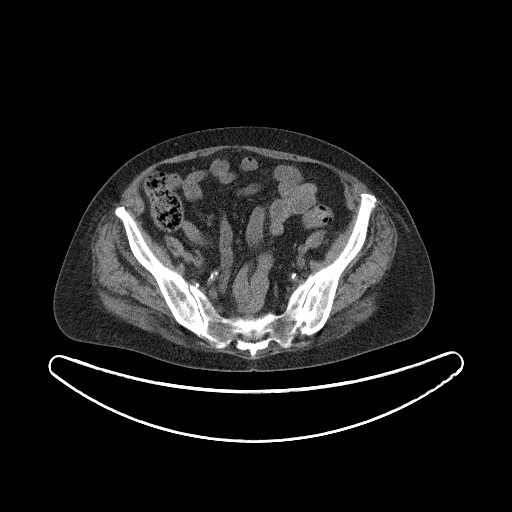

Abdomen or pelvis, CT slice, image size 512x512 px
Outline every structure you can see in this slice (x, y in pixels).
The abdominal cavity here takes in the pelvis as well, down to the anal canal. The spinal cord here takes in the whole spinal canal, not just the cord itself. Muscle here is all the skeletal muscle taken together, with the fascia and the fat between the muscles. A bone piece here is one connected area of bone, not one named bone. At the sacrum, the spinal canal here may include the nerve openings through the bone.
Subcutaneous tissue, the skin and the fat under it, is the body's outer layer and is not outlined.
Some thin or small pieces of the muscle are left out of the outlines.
The muscle appears in 3 outlined pieces: piece 1: [[232,144],[251,145],[257,147],[263,147],[264,148],[268,148],[269,149],[273,149],[279,151],[295,153],[299,155],[307,156],[331,164],[353,175],[364,183],[382,200],[383,203],[387,207],[388,213],[391,217],[397,231],[397,245],[396,246],[394,257],[391,262],[391,265],[388,269],[386,278],[382,285],[381,299],[379,305],[375,311],[374,311],[365,321],[357,325],[343,336],[336,339],[333,339],[320,346],[315,346],[308,349],[297,350],[296,351],[285,351],[258,359],[245,359],[229,353],[214,352],[213,351],[207,351],[206,350],[195,350],[192,348],[189,348],[176,344],[167,339],[163,338],[156,333],[150,332],[147,330],[144,330],[135,325],[130,324],[110,313],[107,313],[99,306],[97,301],[94,297],[93,288],[92,287],[93,278],[92,277],[91,240],[92,239],[92,236],[95,231],[97,223],[99,219],[102,216],[102,214],[105,209],[120,193],[122,189],[125,188],[131,180],[138,173],[151,164],[160,160],[172,157],[178,154],[193,151],[197,149],[201,149],[211,146],[231,145]] with a hole at [[224,149],[318,164],[339,176],[351,218],[315,272],[345,246],[360,194],[377,200],[323,327],[298,335],[288,348],[272,340],[254,356],[234,341],[216,348],[176,321],[114,213],[124,206],[154,255],[180,274],[168,250],[143,226],[140,183],[160,165]]; piece 2: [[166,234],[168,234],[170,236],[172,236],[174,238],[177,239],[180,242],[180,243],[183,247],[183,250],[184,251],[184,255],[183,256],[179,256],[178,257],[175,257],[174,255],[170,251],[165,241],[165,235]]; piece 3: [[319,230],[324,230],[325,231],[325,233],[324,234],[324,238],[322,240],[322,242],[321,244],[320,244],[319,246],[315,248],[307,248],[306,246],[306,240],[307,238],[312,233],[316,231],[318,231]]. The abdominal cavity is outlined by [[224,149],[318,164],[337,174],[343,184],[351,218],[333,239],[316,269],[291,292],[279,313],[268,311],[248,317],[222,315],[199,288],[199,283],[191,283],[182,275],[168,250],[143,226],[140,215],[145,205],[139,188],[150,171],[163,164],[204,157]]; inner edge: [[166,234],[168,234],[170,236],[172,236],[174,238],[177,239],[180,242],[180,243],[183,247],[183,250],[184,251],[184,255],[183,256],[179,256],[178,257],[175,257],[174,255],[170,251],[165,241],[165,235]]. The torso is outlined by [[242,125],[283,128],[325,140],[364,161],[394,188],[414,220],[432,266],[435,297],[425,327],[412,338],[345,360],[270,372],[223,372],[187,368],[126,349],[79,342],[64,335],[53,315],[54,288],[81,216],[101,186],[127,160],[158,142],[196,130]]. The bones are outlined by [[361,193],[372,194],[377,202],[361,249],[340,275],[323,327],[310,336],[298,335],[288,348],[272,340],[254,356],[234,341],[216,348],[176,321],[114,213],[124,206],[154,255],[189,283],[198,283],[219,314],[248,318],[283,312],[292,292],[339,255]] with a hole at [[244,338],[253,338],[254,339],[257,339],[258,338],[261,338],[261,339],[260,340],[259,340],[258,341],[255,341],[254,342],[253,342],[252,341],[246,341],[245,340],[244,340]]. The spinal cord appears in 3 outlined pieces: piece 1: [[244,338],[253,338],[254,339],[257,339],[258,338],[261,338],[261,339],[260,340],[259,340],[258,341],[255,341],[254,342],[253,342],[252,341],[246,341],[245,340],[244,340]]; piece 2: [[239,334],[240,334],[241,335],[241,336],[240,337],[239,337],[238,336],[238,335]]; piece 3: [[266,334],[267,334],[268,335],[268,336],[267,337],[266,337],[265,336],[265,335]].